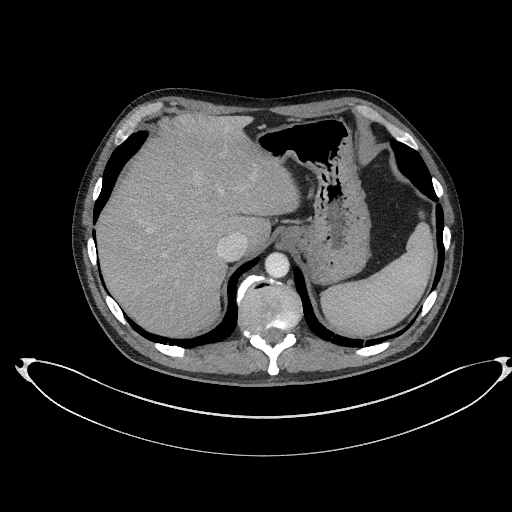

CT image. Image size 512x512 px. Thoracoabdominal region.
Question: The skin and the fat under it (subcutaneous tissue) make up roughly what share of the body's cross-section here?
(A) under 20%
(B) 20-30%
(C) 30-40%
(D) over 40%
Answer: (A) under 20%
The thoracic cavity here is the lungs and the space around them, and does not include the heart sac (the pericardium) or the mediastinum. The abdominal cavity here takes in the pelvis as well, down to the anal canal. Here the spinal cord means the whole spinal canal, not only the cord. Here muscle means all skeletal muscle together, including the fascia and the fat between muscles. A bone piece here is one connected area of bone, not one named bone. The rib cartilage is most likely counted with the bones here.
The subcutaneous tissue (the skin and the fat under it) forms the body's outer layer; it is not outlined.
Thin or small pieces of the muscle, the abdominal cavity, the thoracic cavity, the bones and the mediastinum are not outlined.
Outlines:
abdominal cavity: [[364,341],[413,319],[437,266],[435,205],[398,169],[391,145],[373,138],[370,120],[355,110],[298,118],[164,109],[145,117],[135,131],[148,135],[95,224],[101,279],[127,320],[172,338],[211,331],[226,312],[229,276],[273,244],[301,268],[318,321]]
torso: [[244,388],[319,384],[391,366],[414,356],[429,342],[448,308],[464,243],[455,186],[425,138],[391,104],[372,93],[336,88],[258,98],[195,88],[153,90],[121,111],[84,171],[74,204],[71,247],[84,296],[104,333],[126,358],[146,369],[193,382]]
spinal cord: [[269,344],[275,344],[278,341],[279,341],[284,336],[284,332],[283,331],[282,331],[279,329],[277,329],[276,328],[271,328],[270,329],[267,330],[265,332],[264,332],[264,333],[263,334],[263,337],[265,339],[266,339],[267,340],[267,341]]
mediastinum 1: [[294,287],[295,287],[294,282],[295,267],[298,266],[293,258],[287,252],[277,249],[273,245],[270,245],[266,250],[261,253],[261,258],[259,262],[243,273],[238,278],[237,282],[237,285],[247,274],[255,273],[275,277],[280,280],[283,280],[284,282]]
mediastinum 2: [[379,142],[389,142],[389,140],[391,138],[392,138],[392,137],[390,135],[390,134],[381,125],[380,125],[375,122],[373,122],[372,121],[371,121],[371,122],[370,123],[370,127],[371,128],[371,132],[374,136],[374,138],[377,141],[378,141]]
bones 1: [[270,375],[276,375],[279,371],[276,364],[279,354],[284,349],[292,346],[296,342],[295,336],[291,330],[303,317],[302,302],[296,289],[283,281],[271,277],[249,274],[237,286],[237,325],[242,334],[249,340],[250,344],[261,350],[269,358],[267,372]]; inner edge: [[269,344],[275,344],[278,341],[279,341],[284,336],[284,332],[283,331],[282,331],[279,329],[277,329],[276,328],[271,328],[270,329],[267,330],[265,332],[264,332],[264,333],[263,334],[263,337],[265,339],[266,339],[267,340],[267,341]]
bones 2: [[416,151],[418,150],[418,146],[413,138],[408,133],[402,131],[396,126],[387,121],[370,107],[365,105],[359,105],[358,104],[355,106],[355,108],[358,112],[361,114],[363,114],[367,118],[381,124],[391,134],[394,139],[399,142],[401,142],[405,144]]
bones 3: [[116,147],[121,144],[133,132],[134,132],[134,128],[137,125],[138,122],[145,115],[150,112],[152,112],[156,109],[160,108],[162,106],[162,104],[161,103],[152,104],[150,106],[141,109],[134,114],[122,126],[122,127],[117,131],[114,140],[114,145]]
bones 4: [[362,357],[367,357],[368,356],[371,356],[372,355],[377,354],[385,350],[390,345],[391,343],[389,341],[384,341],[381,343],[378,343],[374,345],[371,345],[370,346],[365,346],[361,348],[357,348],[355,349],[354,351],[355,354],[357,355],[359,355]]
bones 5: [[171,357],[183,357],[183,356],[185,353],[185,350],[186,349],[185,349],[182,347],[177,346],[176,345],[170,345],[169,344],[162,344],[161,343],[158,343],[157,342],[152,342],[152,344],[154,346],[154,347],[158,351],[159,351],[168,356],[170,356]]
bones 6: [[123,325],[129,325],[129,324],[126,320],[126,319],[124,317],[124,315],[122,311],[120,309],[119,306],[117,304],[115,300],[114,300],[113,298],[108,294],[105,294],[104,293],[104,298],[105,299],[105,301],[110,311],[116,318],[116,319]]
bones 7: [[418,318],[421,318],[423,316],[424,316],[429,311],[429,310],[433,305],[436,299],[436,297],[437,296],[437,291],[435,289],[433,289],[431,290],[428,294],[428,295],[425,298],[422,304],[422,307],[421,308],[421,310],[418,315]]
bones 8: [[95,267],[97,267],[97,256],[96,255],[96,246],[95,245],[95,241],[94,240],[93,237],[92,236],[91,236],[90,237],[89,237],[87,240],[87,252],[88,253],[88,256],[89,257],[89,259],[90,260],[90,261],[91,262],[92,265]]
bones 9: [[445,252],[446,252],[448,250],[448,248],[449,247],[449,244],[450,243],[450,240],[451,239],[451,234],[450,233],[450,230],[449,228],[446,225],[444,225],[443,227],[443,235],[442,236],[442,242],[443,243],[443,247],[444,248],[444,251]]
bones 10: [[438,199],[441,198],[441,197],[443,194],[443,190],[442,189],[442,187],[441,186],[440,183],[434,177],[433,177],[432,176],[431,177],[431,181],[432,182],[432,184],[433,185],[433,188],[434,189],[434,191],[435,192],[435,194],[436,195],[436,196]]
bones 11: [[94,202],[95,202],[96,201],[96,200],[97,199],[97,198],[100,193],[100,191],[101,190],[101,186],[102,185],[102,177],[101,176],[98,178],[98,179],[97,180],[97,181],[94,186],[94,189],[93,190],[93,194],[92,195],[92,200]]
muscle: [[240,375],[267,374],[268,358],[249,344],[237,326],[221,342],[187,349],[183,358],[171,358],[158,352],[151,341],[130,326],[120,324],[109,311],[103,298],[103,293],[107,291],[98,268],[93,267],[88,259],[86,240],[95,228],[92,222],[93,186],[97,178],[102,176],[115,148],[115,133],[138,110],[157,102],[163,104],[159,109],[213,114],[268,110],[298,117],[327,116],[355,109],[358,103],[370,106],[414,138],[431,176],[443,187],[444,194],[438,203],[443,209],[444,224],[452,234],[436,287],[437,299],[424,317],[417,318],[419,311],[401,335],[390,339],[392,343],[385,351],[367,358],[355,355],[353,351],[356,348],[342,347],[321,339],[308,328],[304,317],[292,330],[297,342],[280,354],[277,364],[279,372],[317,373],[366,365],[405,349],[436,315],[451,279],[456,226],[445,181],[428,151],[412,132],[371,102],[341,97],[274,107],[244,107],[180,96],[152,98],[138,104],[121,120],[99,156],[84,201],[81,231],[87,280],[97,307],[127,343],[160,364],[190,372]]
thoracic cavity 1: [[432,289],[435,288],[440,278],[444,260],[444,252],[441,242],[443,226],[442,209],[437,203],[437,199],[430,181],[430,175],[419,154],[405,145],[391,139],[390,143],[392,145],[399,169],[423,194],[431,198],[436,205],[436,218],[438,229],[438,266]]
thoracic cavity 2: [[185,348],[221,341],[233,331],[236,325],[237,312],[235,303],[237,278],[258,262],[260,256],[257,256],[247,263],[244,263],[230,276],[227,286],[227,312],[220,324],[209,333],[188,340],[172,339],[146,332],[128,320],[134,330],[152,341],[176,344]]
thoracic cavity 3: [[349,347],[361,347],[370,345],[398,336],[410,325],[412,321],[403,329],[390,335],[366,340],[364,342],[359,339],[334,335],[317,321],[306,294],[301,272],[298,267],[296,267],[296,288],[303,302],[304,316],[309,328],[325,340],[329,340],[333,343]]
thoracic cavity 4: [[94,223],[95,223],[97,219],[101,208],[109,195],[120,169],[125,162],[138,150],[144,141],[147,135],[147,133],[145,131],[139,131],[133,133],[121,145],[117,147],[112,153],[107,163],[103,175],[103,185],[101,193],[95,203],[93,213],[93,222]]